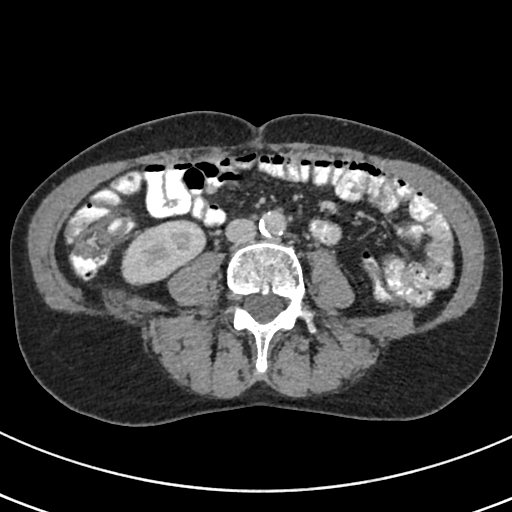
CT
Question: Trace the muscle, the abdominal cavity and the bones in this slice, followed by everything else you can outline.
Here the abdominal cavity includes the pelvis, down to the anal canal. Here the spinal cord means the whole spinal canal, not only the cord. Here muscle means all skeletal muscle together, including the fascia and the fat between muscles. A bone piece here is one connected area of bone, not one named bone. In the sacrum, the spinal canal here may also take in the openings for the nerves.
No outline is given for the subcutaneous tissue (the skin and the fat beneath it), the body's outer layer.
Answer: The muscle is outlined by 304 141; 319 144; 329 144; 348 147; 382 157; 405 160; 413 163; 417 163; 435 171; 458 189; 469 202; 478 219; 484 243; 484 261; 483 262; 484 267; 481 280; 481 286; 478 291; 476 300; 473 306; 469 308; 459 318; 447 323; 444 323; 436 329; 425 334; 411 335; 404 337; 402 339; 391 341; 383 349; 383 352; 379 355; 376 364; 371 368; 367 375; 362 377; 359 381; 356 382; 348 389; 340 393; 322 393; 319 395; 314 394; 307 397; 294 398; 277 392; 263 382; 257 382; 241 394; 231 398; 223 399; 211 398; 204 395; 193 394; 177 385; 150 358; 145 350; 144 341; 137 327; 124 325; 121 321; 116 321; 112 318; 104 318; 98 316; 87 316; 86 315; 73 315; 66 314; 63 312; 58 312; 50 309; 43 300; 42 296; 36 287; 28 257; 27 248; 28 228; 32 216; 42 200; 67 177; 92 165; 97 165; 109 161; 134 158; 152 152; 176 147; 192 147; 203 145; 236 145; 247 142; 280 143; 281 142; 303 142 with a hole at 244 148; 411 183; 459 244; 443 308; 419 324; 407 310; 347 316; 355 293; 335 256; 308 250; 316 330; 298 318; 277 331; 261 374; 254 336; 226 312; 217 249; 167 280; 177 305; 104 287; 85 298; 55 254; 82 198; 135 165. The abdominal cavity is outlined by 244 148; 411 183; 459 244; 443 308; 419 324; 407 310; 347 316; 355 293; 330 251; 305 253; 306 276; 291 245; 265 240; 238 248; 225 278; 217 249; 182 267; 166 282; 177 305; 104 287; 85 298; 55 254; 82 198; 135 165. The bones are outlined by 262 241; 293 248; 302 267; 303 302; 315 312; 316 330; 311 333; 305 322; 298 318; 291 329; 277 331; 269 342; 267 368; 261 374; 255 370; 254 336; 246 329; 235 329; 232 313; 226 312; 236 303; 226 284; 226 268; 238 249, around a hole outlined by 251 294; 260 294; 263 296; 266 296; 269 294; 273 294; 274 295; 282 297; 285 300; 285 306; 284 308; 282 310; 281 310; 270 321; 266 322; 265 323; 261 323; 257 321; 251 315; 251 314; 243 307; 243 298; 245 296; 247 296. The torso is outlined by 192 110; 221 111; 257 126; 292 113; 347 118; 404 136; 456 172; 486 206; 502 256; 497 336; 478 379; 439 411; 411 420; 257 405; 133 427; 80 414; 50 395; 30 373; 15 333; 9 265; 15 217; 48 175; 88 146; 132 125. The spinal cord is outlined by 251 294; 260 294; 263 296; 266 296; 269 294; 273 294; 274 295; 282 297; 285 300; 285 306; 284 308; 282 310; 281 310; 270 321; 266 322; 265 323; 261 323; 257 321; 251 315; 251 314; 243 307; 243 298; 245 296; 247 296.